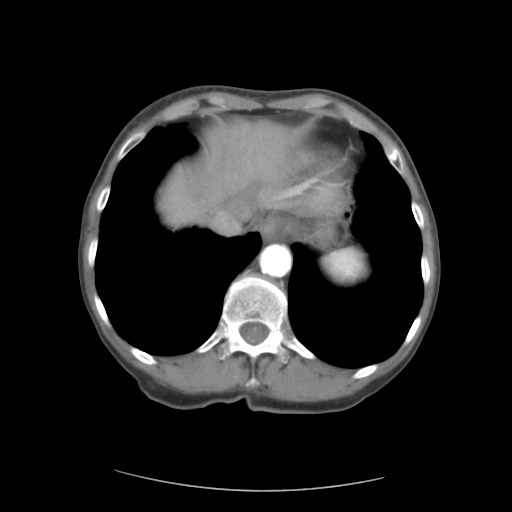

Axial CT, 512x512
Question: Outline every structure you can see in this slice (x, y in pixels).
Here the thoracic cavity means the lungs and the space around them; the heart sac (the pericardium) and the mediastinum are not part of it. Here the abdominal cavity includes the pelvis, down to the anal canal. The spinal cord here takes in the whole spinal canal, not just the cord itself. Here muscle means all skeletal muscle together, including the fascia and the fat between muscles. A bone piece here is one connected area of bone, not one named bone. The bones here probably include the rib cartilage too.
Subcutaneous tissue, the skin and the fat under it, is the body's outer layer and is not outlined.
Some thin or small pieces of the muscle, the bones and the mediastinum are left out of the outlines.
Answer: Outlines (x, y in pixels):
mediastinum 1: 266 227; 279 230; 283 234; 287 236; 289 238; 289 241; 291 242; 291 250; 293 254; 293 257; 287 284; 287 291; 284 289; 281 283; 279 285; 277 283; 254 272; 247 272; 246 271; 236 277; 255 257; 260 250; 262 240; 259 231
mediastinum 2: 328 116; 337 119; 345 120; 351 126; 361 130; 360 131; 360 135; 363 139; 364 149; 367 156; 367 158; 366 158; 363 162; 364 152; 361 147; 360 143; 355 138; 352 137; 339 128; 326 126; 325 125; 325 120; 324 118
muscle: 209 91; 221 91; 231 94; 236 94; 240 96; 254 98; 259 102; 266 102; 274 99; 288 98; 293 96; 297 96; 303 94; 311 94; 312 93; 325 94; 337 98; 353 106; 384 130; 397 144; 406 160; 406 162; 422 197; 423 202; 426 207; 429 220; 432 227; 432 234; 434 240; 435 267; 436 268; 435 269; 435 283; 434 284; 434 291; 433 292; 432 301; 424 325; 415 343; 407 355; 390 371; 371 381; 363 388; 350 395; 329 400; 322 400; 314 402; 296 402; 295 401; 282 401; 266 396; 258 396; 252 391; 247 389; 241 389; 231 392; 214 392; 213 393; 202 393; 201 394; 183 393; 157 383; 148 374; 128 362; 104 335; 94 315; 87 297; 85 288; 85 282; 84 281; 84 275; 83 274; 83 258; 82 256; 83 255; 83 246; 84 245; 84 233; 87 224; 87 214; 91 199; 96 188; 103 177; 109 161; 113 156; 115 151; 126 138; 128 134; 140 123; 145 121; 166 106; 181 98; 186 97; 189 95; 198 94 with holes at 192 100; 197 104; 185 117; 204 108; 273 108; 320 111; 346 121; 341 106; 399 150; 401 177; 423 215; 421 252; 430 274; 413 337; 369 375; 353 378; 356 368; 309 359; 289 348; 285 363; 269 352; 252 360; 235 351; 222 360; 223 339; 202 353; 156 354; 157 362; 146 364; 99 315; 96 272; 88 250; 100 232; 100 192; 112 183; 125 141; 141 129; 148 132; 173 121; 163 114 and at 252 376; 253 376; 254 377; 255 377; 256 378; 256 379; 259 382; 259 384; 258 385; 256 385; 255 386; 252 386; 251 387; 246 387; 245 386; 245 384; 246 383; 246 382 and at 214 96; 215 97; 219 97; 220 98; 222 98; 223 99; 223 105; 221 105; 220 104; 218 104; 217 103; 212 103; 211 102; 210 102; 209 101; 209 98; 210 97; 213 97 and at 315 99; 323 99; 324 100; 326 100; 327 101; 327 103; 326 103; 325 104; 324 104; 323 105; 318 105; 317 106; 315 106; 314 105; 316 103; 316 101; 315 100; 314 100
spinal cord: 246 323; 260 323; 261 324; 263 324; 265 326; 266 326; 268 329; 268 333; 267 334; 266 337; 262 341; 259 342; 257 344; 251 344; 250 343; 247 342; 242 337; 242 336; 240 333; 240 328; 241 327; 241 326; 242 326
bones 1: 246 272; 254 273; 279 286; 281 284; 287 294; 287 317; 291 329; 316 358; 303 357; 287 348; 288 357; 285 363; 269 352; 264 352; 252 360; 246 353; 235 351; 222 360; 219 349; 223 339; 202 353; 194 350; 215 330; 229 285 with a hole at 246 323; 260 323; 261 324; 263 324; 265 326; 266 326; 268 329; 268 333; 267 334; 266 337; 262 341; 259 342; 257 344; 251 344; 250 343; 247 342; 242 337; 242 336; 240 333; 240 328; 241 327; 241 326; 242 326
bones 2: 338 106; 341 106; 346 110; 353 113; 368 125; 374 127; 391 144; 399 150; 404 166; 404 171; 402 175; 389 162; 384 152; 382 145; 377 138; 372 133; 351 125; 348 122; 347 119; 343 116; 343 114; 338 108
bones 3: 141 129; 144 129; 147 131; 147 133; 145 135; 145 136; 137 144; 136 144; 119 161; 118 161; 117 160; 117 155; 118 154; 118 153; 119 152; 119 150; 121 148; 122 145; 125 142; 125 141; 133 133; 134 133; 135 132; 136 132
bones 4: 192 100; 195 100; 197 101; 197 104; 193 103; 190 106; 190 109; 189 110; 190 111; 188 114; 184 116; 181 116; 180 117; 175 118; 174 119; 166 119; 163 117; 163 114; 164 113; 175 108; 178 108; 182 106; 186 102; 188 102
bones 5: 131 346; 136 347; 137 348; 138 348; 140 350; 141 350; 142 351; 144 351; 145 352; 152 355; 155 358; 155 359; 157 361; 157 362; 155 364; 146 364; 145 363; 140 361; 137 358; 136 358; 132 354; 132 353; 130 351; 130 347
bones 6: 95 292; 97 292; 103 304; 103 306; 107 314; 108 319; 111 324; 111 326; 110 327; 107 326; 105 324; 105 323; 103 321; 103 320; 101 318; 101 317; 98 313; 98 311; 97 310; 97 308; 96 307; 96 305; 94 301; 94 293
bones 7: 422 253; 424 253; 425 254; 428 260; 428 263; 429 264; 429 269; 430 270; 430 274; 429 275; 429 280; 426 286; 424 286; 423 284; 423 280; 422 279; 422 275; 421 274; 421 255
bones 8: 374 363; 377 363; 378 364; 378 366; 377 368; 369 375; 367 376; 365 376; 364 377; 362 377; 361 378; 353 378; 352 377; 352 375; 356 371; 357 369; 359 368; 361 368; 362 367; 364 367; 365 366; 367 366; 370 364; 373 364
bones 9: 418 313; 420 314; 421 319; 420 320; 420 323; 417 328; 417 330; 414 334; 413 337; 410 340; 410 341; 407 344; 405 345; 402 345; 402 343; 404 341; 406 337; 406 335; 414 319; 416 317
abdominal cavity: 204 108; 328 115; 323 118; 327 127; 272 179; 264 206; 313 226; 335 218; 353 194; 351 228; 373 268; 365 283; 353 288; 328 283; 310 251; 277 228; 225 237; 197 228; 170 233; 159 225; 153 190; 174 160; 198 147; 186 126
thoracic cavity 1: 162 125; 183 126; 197 147; 174 159; 157 180; 151 208; 158 225; 170 234; 197 229; 225 238; 258 232; 261 240; 257 253; 228 285; 211 334; 193 350; 173 355; 153 355; 117 332; 97 291; 95 271; 100 221; 114 172; 152 128
thoracic cavity 2: 362 130; 376 138; 409 190; 421 237; 423 287; 418 312; 399 347; 383 360; 354 368; 324 361; 297 338; 288 317; 287 292; 295 243; 309 251; 321 277; 335 288; 356 288; 373 275; 372 256; 352 228; 358 206; 353 187; 368 158
torso: 208 83; 255 89; 322 87; 344 93; 381 116; 415 164; 439 236; 441 279; 435 311; 403 370; 349 409; 321 414; 253 412; 243 399; 191 410; 168 407; 138 389; 101 342; 84 307; 76 259; 81 212; 107 150; 148 103; 171 91
pericardium: 324 128; 339 129; 355 139; 359 143; 363 152; 363 159; 358 170; 356 179; 351 185; 351 194; 347 205; 335 217; 318 221; 313 225; 302 225; 297 221; 287 218; 281 213; 267 208; 265 206; 265 195; 273 179; 277 174; 315 135